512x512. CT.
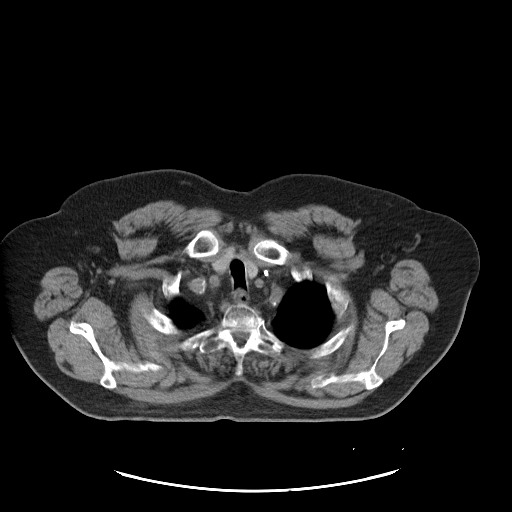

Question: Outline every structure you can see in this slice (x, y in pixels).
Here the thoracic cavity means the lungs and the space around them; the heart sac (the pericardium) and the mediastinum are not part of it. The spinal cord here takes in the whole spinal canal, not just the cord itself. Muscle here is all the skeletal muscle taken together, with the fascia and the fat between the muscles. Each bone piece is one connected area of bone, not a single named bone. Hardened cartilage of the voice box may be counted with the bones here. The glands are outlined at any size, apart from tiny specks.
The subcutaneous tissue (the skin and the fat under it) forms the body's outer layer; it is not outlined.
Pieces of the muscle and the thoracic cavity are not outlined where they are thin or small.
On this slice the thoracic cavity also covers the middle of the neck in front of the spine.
Answer: The bones appear in 10 outlined pieces: piece 1: (239, 302) (255, 309) (264, 319) (266, 327) (286, 344) (278, 355) (249, 351) (243, 358) (242, 373) (238, 376) (235, 373) (236, 360) (228, 347) (214, 349) (209, 338) (203, 353) (197, 347) (183, 351) (175, 346) (211, 326) (222, 313) (221, 305) (226, 307) with a hole at (236, 331) (241, 331) (242, 332) (244, 332) (245, 333) (247, 333) (247, 338) (245, 340) (245, 341) (244, 342) (244, 343) (243, 344) (242, 344) (241, 345) (240, 345) (235, 340) (235, 339) (234, 338) (234, 337) (233, 336) (233, 333) (234, 332) (235, 332); piece 2: (72, 320) (86, 322) (92, 327) (101, 351) (111, 360) (133, 364) (150, 361) (162, 368) (158, 371) (141, 372) (125, 369) (114, 370) (112, 374) (116, 381) (116, 387) (112, 389) (103, 387) (100, 384) (100, 379) (104, 373) (104, 365) (91, 344) (82, 335) (69, 330); piece 3: (400, 318) (405, 320) (404, 326) (389, 334) (387, 347) (375, 366) (376, 373) (383, 379) (379, 386) (366, 389) (364, 384) (359, 381) (331, 382) (323, 387) (316, 388) (311, 386) (312, 379) (320, 375) (326, 378) (331, 373) (340, 375) (368, 370) (382, 348) (386, 322); piece 4: (205, 229) (212, 230) (217, 234) (219, 238) (219, 249) (218, 251) (214, 255) (210, 255) (209, 256) (205, 256) (204, 257) (200, 257) (199, 258) (192, 258) (191, 257) (189, 257) (184, 251) (184, 248) (185, 246) (197, 234) (197, 233) (199, 231) (201, 230) (204, 230); piece 5: (262, 239) (273, 239) (275, 240) (280, 245) (285, 247) (288, 250) (289, 252) (289, 256) (284, 264) (282, 265) (279, 265) (278, 264) (272, 264) (269, 262) (267, 262) (261, 259) (259, 259) (255, 256) (253, 252) (253, 247) (254, 246) (254, 244) (257, 241) (261, 240); piece 6: (350, 324) (353, 324) (354, 325) (353, 329) (352, 329) (348, 333) (343, 343) (337, 349) (336, 349) (333, 352) (327, 355) (322, 356) (319, 358) (310, 358) (308, 356) (308, 350) (309, 349) (313, 348) (321, 344) (327, 339) (334, 335) (338, 331) (346, 327); piece 7: (329, 277) (331, 278) (334, 284) (340, 285) (341, 287) (346, 290) (349, 294) (349, 300) (347, 304) (347, 307) (345, 309) (343, 314) (339, 318) (336, 318) (335, 317) (335, 314) (331, 307) (331, 304) (328, 298) (326, 288) (325, 287) (325, 281) (326, 279); piece 8: (151, 304) (159, 311) (167, 315) (172, 320) (172, 321) (177, 326) (177, 327) (179, 328) (179, 330) (180, 332) (178, 334) (165, 334) (155, 329) (148, 322) (148, 321) (145, 318) (144, 316) (144, 311) (143, 310) (144, 310) (146, 312) (148, 312) (151, 308); piece 9: (179, 270) (180, 270) (181, 271) (181, 276) (180, 277) (180, 280) (179, 281) (179, 289) (180, 290) (180, 295) (174, 297) (170, 301) (167, 301) (164, 297) (164, 295) (163, 294) (163, 292) (162, 291) (162, 282) (165, 277) (171, 277) (172, 276) (174, 276); piece 10: (304, 266) (307, 266) (309, 268) (311, 272) (311, 274) (312, 275) (312, 280) (308, 280) (307, 279) (304, 279) (299, 282) (297, 282) (295, 281) (293, 279) (291, 275) (291, 268) (292, 267) (295, 267) (298, 270) (300, 271) (303, 268). The torso is outlined by (157, 168) (191, 171) (240, 191) (284, 173) (327, 173) (393, 191) (424, 209) (454, 218) (475, 240) (480, 269) (453, 343) (403, 400) (386, 413) (369, 419) (108, 421) (79, 412) (34, 373) (13, 339) (0, 277) (0, 241) (18, 224) (56, 211) (68, 195) (85, 184). The spinal cord is outlined by (236, 331) (241, 331) (242, 332) (244, 332) (245, 333) (247, 333) (247, 338) (245, 340) (245, 341) (244, 342) (244, 343) (243, 344) (242, 344) (241, 345) (240, 345) (235, 340) (235, 339) (234, 338) (234, 337) (233, 336) (233, 333) (234, 332) (235, 332). The muscle is outlined by (163, 199) (212, 207) (236, 220) (254, 220) (269, 210) (306, 204) (327, 205) (361, 219) (355, 245) (364, 253) (364, 261) (351, 282) (355, 299) (361, 305) (372, 289) (386, 286) (397, 261) (421, 262) (439, 301) (425, 346) (384, 381) (377, 363) (390, 334) (406, 324) (402, 317) (390, 319) (368, 369) (312, 378) (313, 389) (348, 382) (375, 389) (347, 407) (293, 406) (259, 396) (242, 382) (179, 404) (151, 404) (111, 390) (117, 387) (113, 372) (158, 372) (163, 366) (150, 360) (111, 359) (102, 351) (93, 327) (72, 319) (68, 330) (90, 344) (103, 373) (99, 384) (66, 375) (54, 361) (46, 326) (33, 312) (41, 278) (53, 267) (71, 267) (85, 291) (121, 314) (122, 282) (107, 271) (118, 257) (112, 220) with holes at (230, 248) (259, 266) (277, 267) (290, 275) (292, 267) (300, 271) (307, 266) (318, 284) (324, 286) (330, 277) (346, 290) (347, 307) (334, 319) (327, 336) (353, 324) (343, 343) (319, 358) (288, 344) (276, 356) (251, 350) (243, 358) (239, 376) (232, 351) (214, 349) (209, 338) (203, 353) (197, 347) (177, 348) (177, 343) (216, 320) (165, 334) (148, 322) (143, 310) (148, 312) (151, 304) (166, 315) (164, 278) (181, 271) (181, 296) (197, 269) and at (205, 229) (212, 230) (217, 234) (219, 238) (219, 249) (218, 251) (214, 255) (210, 255) (209, 256) (205, 256) (204, 257) (200, 257) (199, 258) (192, 258) (191, 257) (189, 257) (184, 251) (184, 248) (185, 246) (197, 234) (197, 233) (199, 231) (201, 230) (204, 230) and at (262, 239) (273, 239) (275, 240) (280, 245) (285, 247) (288, 250) (289, 252) (289, 256) (284, 264) (282, 265) (279, 265) (278, 264) (272, 264) (269, 262) (267, 262) (261, 259) (259, 259) (255, 256) (253, 252) (253, 247) (254, 246) (254, 244) (257, 241) (261, 240). The thoracic cavity is outlined by (235, 250) (249, 279) (258, 274) (258, 265) (280, 268) (297, 283) (313, 280) (323, 285) (335, 318) (327, 338) (308, 349) (289, 345) (243, 301) (221, 304) (221, 313) (213, 321) (178, 327) (167, 314) (168, 303) (183, 294) (203, 265) (211, 263) (216, 272) (225, 272). The thyroid glands appear in 2 outlined pieces: piece 1: (230, 248) (232, 248) (235, 251) (235, 254) (229, 259) (227, 263) (227, 266) (226, 267) (226, 269) (225, 271) (224, 271) (222, 273) (220, 273) (216, 271) (212, 267) (212, 262) (214, 260) (219, 258) (224, 253) (225, 253) (228, 249); piece 2: (239, 254) (242, 254) (244, 256) (247, 257) (249, 259) (253, 261) (257, 265) (257, 267) (258, 268) (258, 271) (257, 272) (257, 274) (253, 278) (249, 278) (248, 277) (247, 275) (247, 273) (246, 272) (246, 268) (245, 267) (244, 262) (242, 258) (240, 257).